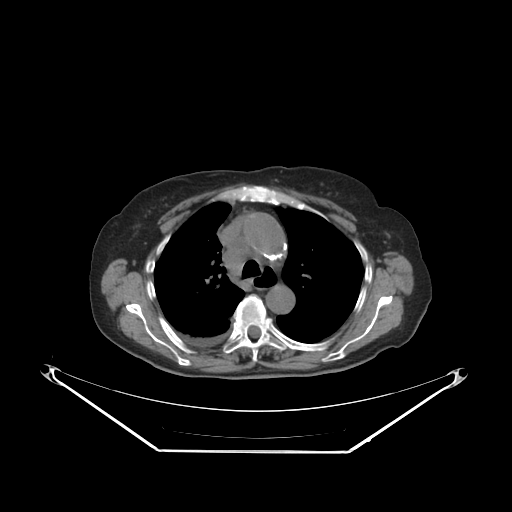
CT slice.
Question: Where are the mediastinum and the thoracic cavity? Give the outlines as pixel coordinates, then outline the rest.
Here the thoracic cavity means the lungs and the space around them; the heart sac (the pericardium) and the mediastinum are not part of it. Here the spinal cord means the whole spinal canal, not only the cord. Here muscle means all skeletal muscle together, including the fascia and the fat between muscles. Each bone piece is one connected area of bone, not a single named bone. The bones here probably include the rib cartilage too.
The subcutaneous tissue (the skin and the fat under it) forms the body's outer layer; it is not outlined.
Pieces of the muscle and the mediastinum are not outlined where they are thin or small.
Answer: The mediastinum is outlined by 232 201; 258 202; 275 206; 284 226; 287 235; 287 256; 281 275; 295 294; 295 305; 289 313; 278 315; 274 321; 268 315; 263 300; 255 293; 245 295; 245 292; 230 280; 222 263; 222 245; 216 233; 230 212; 231 205; 228 202. The thoracic cavity appears in 2 outlined pieces: piece 1: 214 202; 226 202; 230 205; 229 212; 215 234; 221 245; 221 263; 226 269; 226 274; 229 280; 244 292; 244 296; 232 313; 232 328; 223 345; 210 350; 199 350; 189 347; 163 315; 157 299; 153 274; 156 262; 172 235; 202 206; piece 2: 278 206; 311 212; 330 222; 352 242; 363 263; 363 280; 351 312; 337 330; 327 338; 317 342; 296 340; 282 332; 275 324; 275 320; 278 316; 289 314; 296 305; 296 294; 286 283; 282 275; 288 256; 288 235; 277 213; 276 207. The spinal cord is outlined by 251 326; 256 326; 260 330; 260 334; 259 335; 259 336; 257 338; 257 339; 256 340; 255 340; 254 341; 252 341; 249 338; 249 337; 248 336; 248 329; 249 328; 249 327; 250 327. The torso is outlined by 270 165; 313 165; 344 172; 366 184; 380 205; 399 211; 410 221; 432 281; 431 301; 413 336; 405 344; 386 349; 343 371; 259 379; 169 373; 106 338; 92 316; 88 279; 92 248; 104 223; 137 192; 166 178; 200 170; 252 170. The muscle appears in 3 outlined pieces: piece 1: 157 244; 157 259; 148 258; 144 264; 145 272; 153 275; 153 280; 146 280; 145 290; 148 298; 151 301; 156 299; 159 304; 162 314; 157 316; 157 320; 161 329; 178 349; 187 354; 195 354; 194 349; 210 351; 220 348; 225 354; 229 354; 246 347; 251 350; 251 359; 255 363; 259 348; 264 345; 281 352; 288 348; 305 352; 326 350; 336 339; 335 335; 331 336; 351 313; 359 313; 365 302; 367 286; 362 283; 369 284; 373 277; 367 250; 374 259; 387 251; 396 251; 406 257; 413 269; 414 285; 404 304; 400 324; 346 356; 345 349; 370 331; 380 309; 392 301; 393 296; 389 294; 378 298; 370 322; 360 334; 320 359; 322 362; 330 362; 321 363; 311 369; 274 369; 256 365; 242 371; 206 372; 185 367; 190 366; 191 361; 152 332; 141 305; 137 302; 127 303; 126 310; 140 318; 146 333; 156 343; 169 349; 177 363; 121 333; 101 292; 101 277; 111 261; 124 258; 128 261; 129 270; 140 271; 149 252; piece 2: 272 185; 273 186; 282 186; 287 188; 291 188; 303 193; 326 198; 346 209; 352 213; 357 219; 355 224; 360 241; 356 238; 353 238; 352 240; 349 239; 319 209; 306 203; 304 201; 302 201; 291 194; 281 190; 270 188; 267 186; piece 3: 241 182; 253 184; 252 185; 241 185; 237 187; 226 189; 217 193; 209 198; 205 204; 202 205; 190 215; 173 233; 168 232; 162 237; 162 234; 157 222; 159 218; 163 214; 176 204; 191 196; 206 191; 217 189; 224 186; 232 185. The bones appear in 10 outlined pieces: piece 1: 250 294; 255 294; 262 300; 267 315; 286 336; 303 343; 317 343; 333 336; 335 339; 326 349; 319 351; 288 347; 281 351; 264 344; 258 348; 255 362; 252 359; 252 350; 246 346; 225 353; 222 347; 233 328; 233 313; 240 301, around a hole outlined by 251 326; 256 326; 260 330; 260 334; 259 335; 259 336; 257 338; 257 339; 256 340; 255 340; 254 341; 252 341; 249 338; 249 337; 248 336; 248 329; 249 328; 249 327; 250 327; piece 2: 253 185; 266 186; 270 189; 274 189; 291 195; 322 212; 328 218; 329 221; 311 211; 298 209; 284 204; 276 206; 266 202; 240 201; 239 200; 232 200; 227 202; 226 201; 214 201; 207 203; 209 199; 223 191; 241 186; 252 186; piece 3: 389 295; 392 296; 391 301; 388 304; 383 305; 379 309; 377 317; 369 331; 363 337; 350 343; 344 349; 345 356; 343 358; 333 361; 322 361; 321 360; 329 353; 338 350; 347 341; 360 335; 371 322; 375 313; 379 298; 381 296; piece 4: 130 303; 137 303; 140 305; 141 311; 146 320; 148 328; 151 332; 158 339; 167 343; 175 349; 181 357; 188 359; 191 363; 190 365; 183 366; 178 364; 175 355; 170 349; 156 342; 147 333; 141 318; 138 315; 127 310; 126 305; piece 5: 159 315; 162 315; 164 317; 166 321; 170 325; 170 326; 173 329; 176 334; 189 348; 193 349; 195 351; 195 353; 187 353; 181 350; 179 348; 178 348; 169 339; 169 338; 166 335; 166 334; 162 329; 162 327; 158 320; 158 316; piece 6: 353 239; 356 239; 358 240; 366 249; 366 251; 367 252; 367 258; 368 259; 367 261; 372 267; 372 277; 371 278; 371 281; 369 283; 366 283; 364 281; 364 272; 365 271; 364 263; 362 261; 361 256; 358 250; 356 248; 352 241; piece 7: 362 285; 365 285; 366 286; 366 296; 365 297; 364 302; 361 307; 361 309; 359 311; 359 312; 357 313; 354 313; 352 312; 352 311; 356 303; 356 301; 358 298; 358 296; 360 292; 360 289; piece 8: 168 233; 171 233; 172 234; 171 235; 169 240; 167 242; 167 243; 163 248; 163 249; 162 250; 160 255; 158 257; 157 256; 156 256; 156 249; 157 248; 157 246; 158 245; 159 242; 162 239; 162 238; 164 236; 165 236; piece 9: 148 279; 150 279; 151 280; 152 280; 153 281; 153 284; 154 285; 154 289; 155 290; 155 293; 156 294; 156 298; 155 298; 153 300; 151 300; 149 298; 149 297; 148 296; 148 294; 147 293; 147 291; 146 290; 146 282; piece 10: 153 258; 154 259; 155 259; 156 260; 156 261; 155 262; 155 265; 154 266; 154 269; 153 270; 153 273; 147 273; 146 272; 146 270; 145 269; 145 264; 146 263; 146 261; 148 259; 152 259.